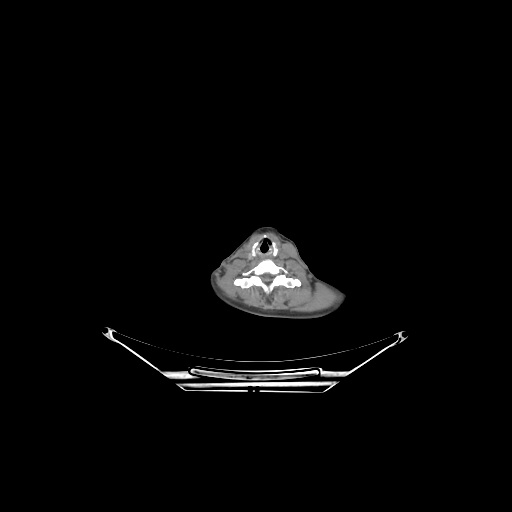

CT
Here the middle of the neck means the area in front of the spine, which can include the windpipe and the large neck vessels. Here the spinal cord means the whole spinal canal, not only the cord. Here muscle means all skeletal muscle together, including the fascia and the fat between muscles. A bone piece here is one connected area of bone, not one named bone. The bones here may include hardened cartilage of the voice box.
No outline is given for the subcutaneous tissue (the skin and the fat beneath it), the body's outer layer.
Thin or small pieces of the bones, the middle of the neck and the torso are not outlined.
torso: [[316,276],[318,278],[326,282],[328,282],[345,290],[348,294],[348,297],[345,303],[344,303],[339,309],[330,315],[324,317],[320,317],[319,318],[315,318],[316,316],[316,312],[317,311],[317,305],[318,304],[318,285],[317,284],[317,278]]
bones 1: [[268,258],[272,259],[277,265],[285,268],[288,271],[286,275],[288,277],[297,278],[301,282],[300,286],[289,288],[279,285],[267,295],[260,286],[252,285],[247,288],[242,288],[233,284],[233,281],[240,277],[243,272],[255,266],[259,261]] with a hole at [[266,273],[268,273],[269,274],[270,274],[271,275],[272,275],[273,276],[273,278],[272,279],[272,280],[269,283],[265,283],[261,279],[261,277],[260,276],[261,275],[262,275],[263,274],[265,274]]
bones 2: [[255,241],[257,241],[258,242],[258,244],[257,245],[257,247],[256,247],[255,248],[255,254],[253,256],[252,256],[251,255],[251,247],[252,246],[252,245],[253,244],[253,243],[254,243],[255,242]]
bones 3: [[273,241],[274,241],[276,243],[276,245],[277,246],[277,247],[278,248],[278,251],[277,252],[277,254],[275,256],[273,254],[273,249],[272,248],[272,242]]
middle of the neck: [[267,236],[273,240],[271,242],[271,248],[272,249],[272,254],[275,257],[273,258],[269,258],[268,257],[267,258],[263,258],[260,260],[259,259],[253,258],[252,257],[256,254],[256,248],[258,247],[259,244],[259,242],[256,240],[259,238],[266,237]]
head and neck: [[259,226],[273,226],[277,228],[283,234],[291,238],[297,245],[301,257],[315,275],[317,285],[317,304],[315,316],[313,319],[288,319],[263,317],[246,313],[226,305],[220,301],[212,292],[209,283],[209,276],[212,270],[217,267],[220,262],[252,230]]
muscle: [[264,232],[272,232],[283,240],[292,244],[299,261],[311,280],[339,292],[342,295],[341,299],[333,306],[325,309],[312,312],[299,312],[290,310],[265,310],[258,307],[246,305],[224,295],[216,285],[216,277],[223,273],[225,265],[253,235]]; inner edge: [[264,234],[277,245],[278,254],[272,259],[273,261],[288,271],[286,275],[288,277],[297,278],[301,282],[300,286],[289,288],[279,285],[267,295],[260,286],[252,285],[242,288],[233,284],[236,278],[255,266],[260,260],[253,258],[250,250],[253,243]]
spinal cord: [[266,273],[268,273],[269,274],[270,274],[271,275],[272,275],[273,276],[273,278],[272,279],[272,280],[269,283],[265,283],[261,279],[261,277],[260,276],[261,275],[262,275],[263,274],[265,274]]